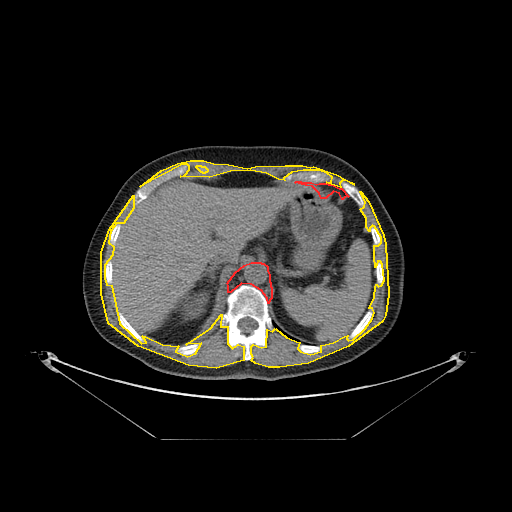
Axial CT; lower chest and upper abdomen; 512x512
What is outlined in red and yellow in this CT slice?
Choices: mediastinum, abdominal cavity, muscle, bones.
red: mediastinum; yellow: muscle.
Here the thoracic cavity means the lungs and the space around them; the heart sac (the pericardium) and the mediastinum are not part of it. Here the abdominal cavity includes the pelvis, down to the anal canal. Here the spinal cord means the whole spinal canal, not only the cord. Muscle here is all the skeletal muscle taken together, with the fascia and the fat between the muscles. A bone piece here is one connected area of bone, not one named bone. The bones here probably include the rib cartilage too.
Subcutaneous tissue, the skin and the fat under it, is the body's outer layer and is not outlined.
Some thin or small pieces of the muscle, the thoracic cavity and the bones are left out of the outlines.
Outlines:
mediastinum 1: 251,262 260,262 261,263 263,263 267,266 267,270 269,275 269,281 270,282 270,286 271,287 271,298 269,300 268,303 267,298 261,290 251,284 241,283 230,292 228,292 228,285 227,283 235,272 244,265
mediastinum 2: 296,181 300,181 301,182 311,182 316,184 319,183 327,183 328,184 331,184 339,188 341,188 348,196 344,197 342,199 339,193 333,191 325,198 321,198 319,193 312,186 306,185 305,184 301,184 295,182
muscle 1: 133,195 133,208 123,223 116,223 110,231 108,242 113,246 112,255 104,265 104,278 106,284 111,285 119,323 141,343 146,342 142,336 145,336 162,344 178,346 175,351 187,356 195,353 201,343 186,344 210,328 221,314 220,326 227,326 227,343 232,348 238,344 243,346 243,360 216,368 188,365 138,346 108,323 101,293 101,252 109,229
muscle 2: 360,191 368,201 383,235 385,244 388,294 385,315 382,321 348,346 308,363 279,367 268,367 255,363 251,360 253,357 251,354 251,346 253,344 261,347 266,346 267,329 272,331 275,328 286,337 299,342 297,348 300,351 310,354 321,351 321,345 333,342 344,336 347,335 346,338 348,340 353,339 365,328 372,318 374,312 372,308 369,308 374,297 375,286 376,284 378,286 381,285 384,280 382,264 380,261 377,261 375,267 374,256 374,245 378,245 381,242 381,237 374,226 372,225 369,228 369,231 366,227 366,218 360,209 364,206 365,202
muscle 3: 190,160 203,160 213,163 228,164 247,168 255,166 285,165 302,165 310,167 313,166 336,174 354,184 345,180 342,180 339,183 340,187 328,183 326,182 331,181 332,177 327,173 318,170 303,170 291,172 283,178 284,180 278,179 266,173 250,170 230,171 209,177 180,176 185,174 189,169 189,166 187,164 182,164 140,186 161,170 177,163, around a hole outlined by 197,165 200,165 201,166 204,166 207,169 207,171 206,172 205,172 204,173 203,173 202,172 201,172 196,167 196,166
torso: 201,145 287,145 316,148 343,158 366,177 396,226 405,260 401,310 394,326 381,342 349,362 308,374 276,380 206,380 171,375 152,369 100,336 88,317 82,292 84,258 97,224 122,184 134,171 166,153
spinal cord: 245,317 249,317 250,318 253,319 257,323 257,326 256,327 256,328 255,328 251,332 251,333 250,333 249,334 242,333 241,330 238,326 238,322 239,321 239,320 240,319 241,319 242,318 244,318
bones 1: 241,284 251,285 260,290 267,300 268,313 274,327 272,330 266,329 265,346 254,343 250,346 252,357 250,360 243,359 245,348 241,343 232,347 229,345 227,339 228,326 221,326 222,314 227,309 226,298, around a hole outlined by 245,317 249,317 250,318 253,319 257,323 257,326 256,327 256,328 255,328 251,332 251,333 250,333 249,334 242,333 241,330 238,326 238,322 239,321 239,320 240,319 241,319 242,318 244,318
bones 2: 182,165 187,165 188,166 188,169 185,173 182,175 173,177 166,181 162,182 158,185 147,196 147,197 143,199 139,203 135,205 134,204 133,202 133,198 135,192 138,188 156,179 161,175 169,171 176,169
bones 3: 303,171 307,171 308,172 317,172 318,171 322,173 325,173 331,177 331,180 326,181 325,182 319,182 318,183 312,182 311,181 301,181 300,180 296,180 295,181 286,181 284,178 287,175 291,173 302,172
bones 4: 342,181 345,181 352,185 354,185 358,189 360,194 362,196 362,198 364,202 363,206 360,207 356,203 356,202 351,197 350,197 345,191 344,191 344,190 341,187 341,185 340,184 340,183
bones 5: 369,309 372,309 372,311 373,312 372,313 371,318 369,320 367,324 364,327 364,328 356,336 355,336 353,338 348,339 347,338 348,335 355,327 355,326 360,321 360,320 363,317 365,313
bones 6: 118,310 119,311 120,311 122,313 122,314 127,320 127,321 134,328 134,329 144,339 145,342 141,342 140,341 137,340 134,337 133,337 124,328 124,327 120,323 120,322 117,317 117,313 116,312
bones 7: 193,343 200,343 200,346 199,347 199,348 195,352 194,352 191,354 188,354 187,355 183,355 182,354 179,354 176,351 176,348 177,347 178,347 181,345 188,345 189,344 192,344
bones 8: 299,344 307,344 308,345 320,345 321,346 321,350 320,350 319,351 318,351 317,352 311,352 310,353 306,353 305,352 303,352 301,350 300,350 298,348 298,345
bones 9: 109,260 111,260 111,263 112,264 112,282 111,283 111,284 110,285 108,285 107,284 107,282 106,281 106,279 105,278 105,265 106,264 106,263
bones 10: 118,223 121,225 121,227 119,230 119,233 118,234 118,236 117,237 117,239 115,242 115,244 114,245 112,245 109,242 109,240 110,239 110,234 111,233 111,231 112,230 113,227 116,224 117,224
bones 11: 377,262 380,262 380,263 381,264 381,266 382,267 382,269 383,270 383,280 382,281 382,282 381,283 381,284 380,284 379,285 378,285 376,283 376,275 375,274 375,268 376,267 376,263
bones 12: 372,226 373,227 374,227 377,230 377,231 378,232 378,233 379,234 379,236 380,237 380,242 378,244 374,244 374,243 373,242 373,240 372,239 372,236 371,235 371,233 370,232 370,228
abdominal cavity: 238,171 312,187 321,199 335,192 359,207 373,245 375,287 368,309 343,337 310,344 280,328 269,313 270,275 260,261 234,272 219,316 185,344 141,335 119,309 112,288 112,256 134,207 173,178
thoracic cavity: 273,321 276,324 276,325 284,332 285,332 290,336 295,338 297,340 306,343 301,343 297,340 295,340 290,337 288,337 287,336 286,336 284,334 283,334 281,332 280,332 274,326 274,325 273,324